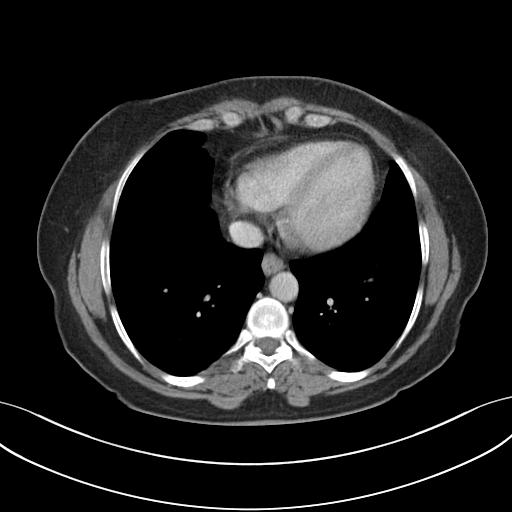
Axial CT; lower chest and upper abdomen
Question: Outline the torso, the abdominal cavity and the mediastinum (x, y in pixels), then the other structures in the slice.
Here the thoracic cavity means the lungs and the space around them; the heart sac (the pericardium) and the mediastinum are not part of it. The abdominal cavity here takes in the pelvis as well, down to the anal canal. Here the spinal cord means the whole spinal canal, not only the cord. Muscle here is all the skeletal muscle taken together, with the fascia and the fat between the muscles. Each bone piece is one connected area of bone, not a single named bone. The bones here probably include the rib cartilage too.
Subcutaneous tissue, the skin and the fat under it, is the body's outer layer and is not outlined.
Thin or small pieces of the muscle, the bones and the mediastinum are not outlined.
Answer: The torso is outlined by 248,75 327,77 419,116 457,156 477,191 487,222 487,261 464,309 455,349 435,371 380,405 327,419 275,425 175,420 123,404 86,373 61,342 52,295 37,262 36,233 50,186 74,145 102,115 123,101. The abdominal cavity is outlined by 265,113 274,113 279,116 281,116 281,123 283,126 283,130 282,132 280,133 269,134 264,136 251,136 250,135 241,135 230,128 233,128 240,125 249,118 251,118 261,114 264,114. The mediastinum is outlined by 282,119 304,128 351,125 392,159 379,199 377,159 353,134 275,136 229,157 223,204 261,227 291,260 299,289 290,317 273,297 254,301 265,279 263,251 222,235 211,206 215,163 201,145 202,132 280,134. The muscle is outlined by 284,95 285,96 293,96 304,101 315,102 318,104 334,107 349,112 355,116 363,119 378,129 382,133 385,134 394,143 399,151 403,154 408,161 419,172 428,184 455,237 455,241 460,256 460,265 461,266 461,272 457,285 451,295 447,306 427,341 412,357 410,357 404,363 384,377 378,379 374,382 344,392 326,395 319,398 316,398 305,406 294,406 291,405 287,402 287,400 284,397 272,391 262,391 257,393 244,401 238,407 233,409 223,409 217,407 210,403 206,399 188,399 179,397 171,397 160,394 131,379 117,369 110,362 104,353 91,340 86,332 80,317 72,304 71,298 68,291 68,284 67,283 68,264 75,243 88,216 92,205 97,199 113,174 143,142 147,140 148,138 153,135 159,129 165,126 169,122 171,122 190,113 196,112 204,107 219,102 224,99 230,99 236,97 237,98 249,99 260,103 271,98 with holes at 292,106 299,106 303,113 291,125 309,128 304,125 303,117 306,114 327,115 333,121 331,125 341,123 361,130 390,157 390,153 395,152 407,164 415,181 417,194 413,200 416,218 425,223 429,237 427,263 420,266 418,278 418,283 423,284 423,294 417,317 400,345 393,351 391,347 370,366 372,369 365,377 356,381 342,382 328,377 332,367 317,358 310,360 295,350 295,363 283,360 270,373 253,361 246,362 238,371 232,371 235,360 243,353 242,347 228,355 221,355 200,371 198,374 205,379 201,383 189,387 168,383 160,376 160,368 143,356 139,361 124,344 110,313 110,305 115,303 113,292 107,294 102,284 100,248 105,238 111,238 111,211 118,181 141,150 148,150 171,131 187,129 195,120 208,118 217,123 217,127 201,132 230,130 221,119 221,115 228,111 235,112 243,122 261,114 274,113 287,123 284,112 and at 270,376 271,376 274,379 274,380 275,381 275,387 273,389 269,389 267,387 267,380 268,379 268,378. The bones appear in 13 outlined pieces: piece 1: 262,297 273,298 284,306 290,318 290,327 298,341 316,357 315,360 294,350 295,363 283,360 270,373 253,361 246,362 238,371 232,371 235,360 243,353 243,348 228,355 223,354 236,341 245,325 251,305 with a hole at 265,337 270,337 271,338 274,338 275,339 277,339 278,341 278,345 274,349 274,351 273,353 271,354 265,354 263,353 262,351 262,349 256,344 257,341 259,339 261,338 264,338; piece 2: 145,148 147,148 147,150 137,162 129,174 124,184 124,186 121,191 121,194 117,203 117,207 115,211 115,215 113,219 113,222 111,220 111,211 112,210 113,198 118,181 125,168 134,156 141,150; piece 3: 105,238 108,238 109,239 109,274 110,275 110,281 111,282 111,291 108,294 107,294 104,291 104,288 103,287 103,285 102,284 102,280 101,279 101,272 100,271 100,248 101,247 101,243 102,242 102,241; piece 4: 421,283 423,284 423,294 422,295 421,305 420,306 417,317 411,329 400,345 395,350 392,351 391,350 393,345 402,333 408,321 408,319 411,313 411,311 413,307 413,304 415,300 415,296 416,295 418,285; piece 5: 111,304 114,304 115,305 116,309 118,312 119,317 122,322 122,324 129,338 131,340 135,348 142,356 142,361 141,362 136,359 136,358 124,344 121,338 119,336 111,317 111,314 110,313 110,305; piece 6: 161,371 169,373 172,375 176,375 177,376 191,376 192,375 196,375 198,374 204,377 205,380 201,383 198,383 195,385 193,385 189,387 183,387 182,386 173,385 170,383 166,382 162,379 160,376 160,372; piece 7: 369,367 371,367 372,369 371,371 365,377 361,379 359,379 356,381 352,381 351,382 342,382 341,381 338,381 328,377 327,375 327,373 332,369 334,369 338,371 344,371 345,372 354,372 355,371 359,371; piece 8: 419,219 421,219 425,223 425,224 427,227 427,231 428,232 428,236 429,237 429,254 428,255 428,259 427,260 427,263 425,265 422,265 421,264 421,248 420,247 420,241 419,240 419,232 418,231 418,220; piece 9: 391,152 395,152 400,155 404,159 409,169 411,171 411,173 415,181 415,187 416,188 416,192 417,193 416,195 416,198 415,199 414,199 413,197 411,189 403,172 401,170 397,163 392,158 390,154; piece 10: 309,113 315,113 316,114 322,114 323,115 327,115 329,116 332,119 333,122 330,124 328,124 325,126 322,126 321,127 310,127 309,126 306,126 304,125 304,120 303,119 303,117 306,114 308,114; piece 11: 202,118 208,118 209,119 212,119 213,120 214,120 217,123 218,126 217,127 215,127 210,130 194,130 193,129 189,129 188,128 188,125 190,123 191,123 193,121 194,121 195,120 197,120 198,119 201,119; piece 12: 228,111 229,111 230,112 235,112 240,117 241,117 241,118 242,119 242,122 240,124 239,124 236,126 234,126 233,127 229,127 228,126 227,126 222,121 222,120 221,119 221,115 224,112 227,112; piece 13: 292,106 299,106 302,109 302,110 303,111 303,113 302,114 302,115 295,122 294,122 293,123 289,123 286,120 286,118 285,117 285,115 284,114 284,112 288,108 289,108 290,107 291,107. The spinal cord is outlined by 265,337 270,337 271,338 274,338 275,339 277,339 278,341 278,345 274,349 274,351 273,353 271,354 265,354 263,353 262,351 262,349 256,344 257,341 259,339 261,338 264,338. The pericardium is outlined by 322,133 353,135 363,140 369,146 377,162 378,199 363,227 349,240 333,249 315,255 289,259 283,256 268,240 261,226 252,220 231,214 225,206 223,185 228,174 229,160 236,151 256,142 282,136 302,137. The thoracic cavity appears in 2 outlined pieces: piece 1: 179,129 204,134 205,138 200,145 214,163 210,206 216,214 220,233 228,243 239,248 262,251 260,268 264,278 232,345 205,369 191,375 164,371 140,353 120,317 110,274 110,239 125,184 146,152 166,134; piece 2: 392,160 396,163 408,184 414,201 417,219 421,265 414,300 401,333 379,360 359,370 338,370 318,359 309,351 299,341 291,327 291,316 300,288 299,282 290,268 290,262 333,250 357,235 368,221 381,197.